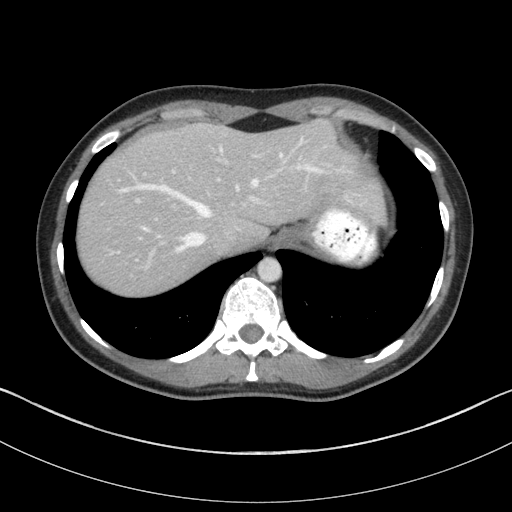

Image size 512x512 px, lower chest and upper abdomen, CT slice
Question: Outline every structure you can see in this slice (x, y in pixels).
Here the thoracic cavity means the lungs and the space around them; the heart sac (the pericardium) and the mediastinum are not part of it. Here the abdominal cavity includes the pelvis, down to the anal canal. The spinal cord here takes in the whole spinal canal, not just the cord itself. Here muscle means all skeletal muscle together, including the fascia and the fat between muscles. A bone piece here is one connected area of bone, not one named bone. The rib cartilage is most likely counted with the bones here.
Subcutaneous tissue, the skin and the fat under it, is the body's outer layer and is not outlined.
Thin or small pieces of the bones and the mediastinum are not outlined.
Answer: {"thoracic_cavity":[[[340,356],[375,352],[399,337],[420,313],[440,264],[443,231],[438,200],[429,172],[399,139],[384,131],[379,131],[378,161],[398,204],[398,232],[384,256],[370,268],[350,271],[292,250],[279,249],[276,252],[284,274],[282,313],[291,328],[309,345]],[[150,358],[178,354],[199,343],[211,330],[228,286],[261,253],[250,252],[221,261],[177,288],[151,298],[121,298],[92,284],[77,260],[75,222],[87,181],[115,147],[114,142],[94,155],[68,206],[63,234],[65,274],[81,316],[97,333],[129,354]]],"spinal_cord":[[[250,343],[256,341],[262,335],[262,334],[263,333],[263,331],[262,330],[262,329],[258,325],[257,325],[256,324],[247,324],[246,325],[243,326],[239,330],[239,334],[240,335],[240,336],[245,341],[246,341],[247,342],[249,342]]],"bones":[{"outer":[[247,381],[258,378],[255,358],[262,350],[276,356],[290,344],[313,358],[325,358],[328,354],[295,334],[281,313],[281,300],[269,287],[254,277],[241,276],[225,292],[209,334],[195,347],[166,360],[184,362],[213,345],[227,355],[241,350],[250,359]],"hole":[[250,343],[256,341],[262,335],[262,334],[263,333],[263,331],[262,330],[262,329],[258,325],[257,325],[256,324],[247,324],[246,325],[243,326],[239,330],[239,334],[240,335],[240,336],[245,341],[246,341],[247,342],[249,342]]},[[393,134],[395,133],[396,130],[395,125],[390,125],[379,117],[365,111],[347,108],[335,109],[330,104],[320,105],[314,107],[310,110],[310,112],[313,114],[328,114],[331,113],[333,117],[338,117],[345,120],[354,121],[373,127],[378,130],[384,130]],[[164,119],[167,117],[178,117],[179,116],[202,116],[205,114],[205,112],[201,109],[199,109],[198,108],[193,108],[192,107],[179,107],[178,108],[174,108],[173,109],[168,109],[167,110],[162,111],[160,113],[160,116]],[[365,363],[368,363],[369,362],[374,362],[375,361],[380,360],[386,357],[388,355],[393,353],[401,346],[401,345],[404,341],[404,338],[403,337],[400,337],[396,339],[385,347],[382,348],[375,355],[371,357],[365,358],[363,360],[363,362]],[[93,154],[98,152],[101,149],[102,149],[110,143],[115,141],[121,135],[120,130],[119,129],[114,129],[113,130],[110,130],[109,131],[107,131],[101,136],[100,136],[96,140],[96,141],[94,143],[94,144],[91,148],[91,152]],[[426,308],[429,307],[434,301],[439,291],[439,289],[441,286],[441,283],[443,279],[443,272],[444,271],[443,265],[441,264],[437,271],[437,273],[435,276],[435,278],[434,279],[434,281],[431,288],[431,291],[430,292],[429,297],[425,304],[425,307]],[[430,172],[434,172],[436,170],[436,166],[435,165],[435,163],[434,162],[433,159],[428,154],[428,153],[427,153],[421,148],[420,148],[417,146],[415,146],[414,147],[413,147],[413,148],[412,149],[412,151],[414,153],[414,154],[422,163],[422,164]],[[107,348],[109,348],[110,347],[110,345],[107,342],[106,342],[98,334],[97,334],[90,327],[90,326],[81,317],[80,317],[79,318],[79,321],[80,322],[82,327],[85,330],[85,331],[92,338],[93,338],[100,344],[101,344],[103,346],[104,346]],[[445,233],[446,233],[448,231],[448,228],[449,227],[449,214],[448,213],[447,208],[446,207],[444,202],[440,199],[438,201],[438,203],[439,204],[439,212],[440,213],[440,217],[441,218],[441,222],[442,223],[442,226],[443,227],[443,230]],[[62,274],[64,274],[64,267],[63,266],[63,245],[62,244],[62,241],[59,241],[58,242],[58,243],[57,244],[57,248],[56,249],[56,255],[57,256],[57,262],[58,263],[58,266],[59,267],[59,270],[60,271],[60,272]]],"mediastinum":[[[279,299],[281,299],[281,294],[282,293],[282,275],[283,274],[282,273],[281,265],[278,261],[275,254],[275,252],[279,248],[276,248],[275,247],[264,248],[260,250],[262,253],[262,257],[251,268],[241,275],[250,275],[258,278],[269,286],[274,291]],[[378,163],[377,161],[377,146],[378,145],[378,131],[373,128],[371,128],[370,127],[368,127],[364,125],[361,125],[360,124],[358,124],[357,123],[349,121],[349,131],[352,137],[363,148],[363,149],[364,149],[370,155],[370,156],[371,156]]],"muscle":[[[315,390],[355,381],[396,359],[417,341],[442,306],[455,267],[456,226],[453,202],[435,153],[396,121],[363,104],[335,96],[300,98],[265,108],[200,99],[175,100],[102,130],[82,153],[59,201],[50,250],[57,295],[76,329],[102,354],[141,375],[184,388],[242,384],[249,359],[241,351],[227,356],[213,346],[177,364],[166,358],[132,356],[111,345],[107,349],[81,327],[65,275],[58,270],[55,249],[62,240],[68,205],[65,193],[93,156],[90,148],[100,135],[114,128],[119,128],[122,135],[163,119],[159,116],[162,110],[179,106],[201,108],[206,114],[200,117],[231,119],[266,112],[300,120],[331,115],[309,112],[314,106],[330,103],[335,108],[365,110],[395,124],[395,135],[407,147],[411,150],[417,145],[434,159],[437,170],[430,175],[438,199],[445,202],[450,214],[441,259],[444,279],[435,301],[427,309],[424,306],[401,336],[405,338],[402,346],[368,364],[362,360],[377,352],[359,357],[329,354],[325,359],[313,359],[290,345],[276,357],[266,350],[257,356],[257,382],[292,383]]],"torso":[[[310,402],[347,397],[399,375],[423,358],[449,327],[460,301],[473,245],[471,203],[452,158],[402,107],[377,93],[346,84],[181,84],[140,93],[116,106],[63,159],[38,213],[38,276],[48,314],[59,335],[96,369],[168,397],[208,400],[259,396]]],"abdominal_cavity":[[[127,298],[164,293],[214,263],[268,246],[363,270],[383,256],[397,232],[395,197],[379,165],[351,137],[348,121],[331,116],[290,121],[258,113],[231,120],[179,117],[149,123],[132,131],[96,168],[82,196],[76,222],[76,252],[87,277],[98,287]]]}